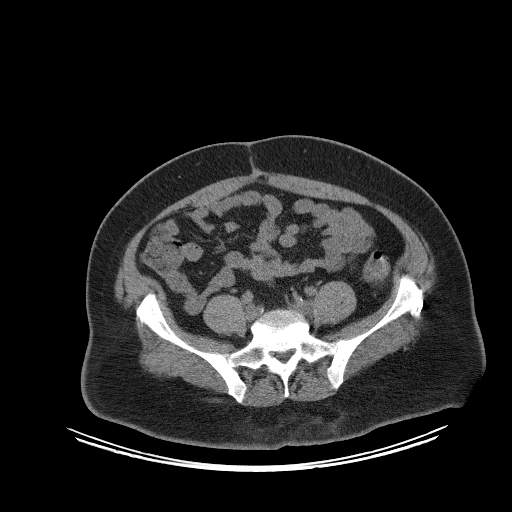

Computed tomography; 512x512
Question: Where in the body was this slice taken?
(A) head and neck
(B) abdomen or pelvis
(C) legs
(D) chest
Answer: (B) abdomen or pelvis
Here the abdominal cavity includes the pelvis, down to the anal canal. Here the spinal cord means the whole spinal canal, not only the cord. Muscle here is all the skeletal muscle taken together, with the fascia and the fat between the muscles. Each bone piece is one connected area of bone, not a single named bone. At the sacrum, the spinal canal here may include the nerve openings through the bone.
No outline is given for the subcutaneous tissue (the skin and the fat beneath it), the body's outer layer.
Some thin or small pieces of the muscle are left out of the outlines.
The muscle appears in 5 outlined pieces: piece 1: 254 168; 339 185; 397 213; 428 244; 434 256; 436 281; 424 305; 424 290; 410 275; 401 274; 394 298; 379 320; 352 337; 329 341; 323 339; 325 336; 375 312; 390 295; 394 268; 404 252; 405 240; 380 211; 365 204; 296 193; 270 185; 260 177; 217 199; 165 215; 152 223; 139 240; 135 251; 138 271; 160 284; 175 321; 186 332; 228 342; 236 350; 221 353; 201 350; 189 344; 170 326; 152 290; 136 306; 135 317; 160 338; 202 358; 219 374; 227 394; 237 403; 208 403; 199 398; 193 386; 179 378; 160 379; 143 370; 138 361; 141 343; 134 316; 116 300; 114 283; 127 243; 151 218; 206 185; 248 174; piece 2: 325 356; 331 356; 326 369; 329 386; 333 390; 339 388; 333 395; 314 401; 285 399; 278 405; 266 407; 241 404; 247 385; 236 368; 257 370; 264 365; 268 372; 281 379; 283 397; 287 399; 290 395; 288 380; 299 362; 310 364; piece 3: 422 310; 420 333; 411 342; 401 346; 396 351; 385 355; 373 364; 365 369; 363 369; 359 374; 349 379; 344 385; 340 387; 344 382; 344 374; 349 359; 357 347; 367 337; 404 314; 408 313; 412 317; 418 319; 421 316; piece 4: 332 281; 342 281; 345 282; 352 288; 356 297; 355 309; 347 317; 336 323; 333 323; 332 324; 330 323; 322 323; 317 325; 314 322; 314 317; 312 315; 313 314; 312 313; 312 302; 314 300; 314 298; 320 288; 326 283; piece 5: 222 294; 227 294; 237 298; 241 302; 243 306; 243 311; 245 314; 245 317; 246 318; 245 321; 246 330; 242 335; 240 335; 237 333; 233 333; 230 335; 220 334; 210 328; 205 323; 203 319; 203 312; 208 302; 213 297. The spinal cord is outlined by 287 351; 291 351; 291 353; 290 354; 290 355; 289 356; 289 357; 287 359; 287 360; 285 362; 282 362; 279 359; 278 359; 276 357; 276 356; 274 354; 275 353; 282 353; 283 352; 286 352. The torso is outlined by 285 134; 332 139; 385 161; 425 189; 449 220; 467 262; 486 354; 485 369; 463 405; 384 425; 346 440; 285 445; 274 450; 182 444; 93 414; 80 390; 80 371; 89 336; 85 281; 91 245; 107 212; 140 178; 184 152; 213 143. The bones are outlined by 403 274; 423 290; 420 316; 404 313; 367 336; 348 359; 337 389; 331 388; 327 377; 331 355; 310 363; 300 360; 288 377; 287 398; 282 379; 264 364; 257 369; 238 366; 235 369; 246 385; 238 403; 206 360; 157 335; 139 322; 135 312; 144 296; 154 292; 173 331; 207 352; 224 354; 242 348; 252 338; 252 323; 274 309; 299 312; 312 335; 332 342; 361 334; 379 321; 391 306; inner edge: 287 351; 291 351; 291 353; 290 354; 290 355; 289 356; 289 357; 287 359; 287 360; 285 362; 282 362; 279 359; 278 359; 276 357; 276 356; 274 354; 275 353; 282 353; 283 352; 286 352. The abdominal cavity is outlined by 260 178; 296 194; 369 206; 395 226; 404 248; 393 268; 389 295; 375 311; 320 338; 310 332; 310 323; 299 311; 270 309; 251 323; 251 338; 237 349; 228 341; 186 331; 178 324; 161 284; 137 267; 140 240; 165 216; 207 204; inner edge: 332 281; 342 281; 345 282; 352 288; 356 297; 355 309; 347 317; 336 323; 333 323; 332 324; 330 323; 322 323; 317 325; 314 322; 314 317; 312 315; 313 314; 312 313; 312 302; 314 300; 314 298; 320 288; 326 283.